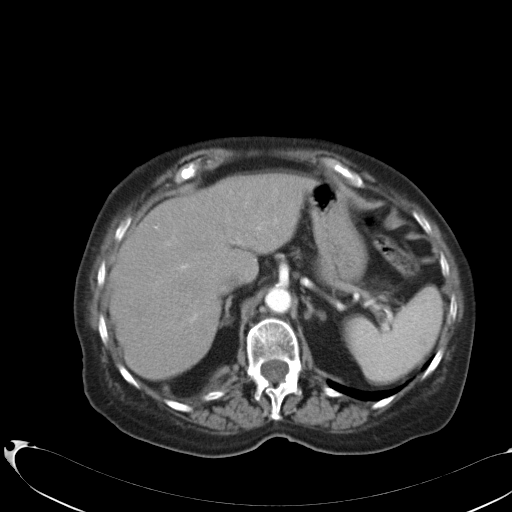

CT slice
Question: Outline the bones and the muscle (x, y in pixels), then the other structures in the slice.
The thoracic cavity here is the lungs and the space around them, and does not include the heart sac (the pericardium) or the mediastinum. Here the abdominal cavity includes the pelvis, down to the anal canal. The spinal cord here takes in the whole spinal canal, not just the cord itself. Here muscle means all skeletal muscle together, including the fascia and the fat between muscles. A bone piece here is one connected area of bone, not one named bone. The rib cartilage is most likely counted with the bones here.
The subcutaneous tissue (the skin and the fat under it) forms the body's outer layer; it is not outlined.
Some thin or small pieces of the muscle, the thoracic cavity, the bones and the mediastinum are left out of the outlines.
Answer: bones 1: 267,317 287,322 295,333 300,350 301,371 298,386 302,392 300,395 289,393 283,398 280,406 281,418 278,420 272,419 270,416 271,399 264,391 258,400 255,399 256,385 246,372 248,366 247,332 257,322, around a hole outlined by 269,360 280,360 281,361 283,361 284,362 285,362 287,364 287,372 284,375 284,377 283,378 283,380 282,380 277,383 272,383 270,381 269,381 262,374 262,373 261,372 261,366 263,363 264,363
bones 2: 324,156 326,157 330,157 339,161 344,166 347,167 352,172 358,174 364,181 365,186 364,187 358,187 352,184 349,181 348,178 342,173 338,171 335,171 333,169 329,167 327,167 324,165 320,161 320,159
bones 3: 197,158 200,158 200,162 199,163 199,167 197,169 195,175 183,181 181,183 179,183 178,184 176,183 174,180 174,177 175,176 175,174 180,169 180,168 182,166 187,164 190,161 192,160 194,160
bones 4: 440,347 443,347 444,350 443,351 443,354 442,355 442,357 438,365 435,368 435,369 427,377 426,377 424,379 422,379 421,377 422,376 422,374 423,372 427,368 428,365 430,363 431,360 433,358 437,350
bones 5: 129,215 131,216 132,218 131,220 131,222 129,226 127,228 121,240 120,241 117,241 115,239 115,232 116,231 116,229 118,225 127,216
bones 6: 100,314 102,314 104,316 104,318 105,319 105,323 106,324 106,327 107,328 107,332 108,333 108,341 106,345 102,342 102,340 100,337 100,335 98,331 98,321 99,320 99,315
bones 7: 118,363 120,363 121,364 122,364 126,368 126,369 133,376 133,377 138,383 138,384 140,387 139,388 136,388 133,385 132,385 130,383 127,382 124,379 124,378 121,375 121,374 117,367 117,364
bones 8: 165,398 167,398 168,399 171,399 172,400 175,400 176,401 178,401 179,402 181,402 182,403 187,404 192,408 192,410 188,412 183,412 182,411 180,411 179,410 174,409 167,404 166,404 164,402 164,399
bones 9: 452,294 454,294 454,295 455,296 455,299 456,300 456,303 457,304 457,310 456,311 456,316 455,317 455,319 453,322 452,322 451,323 447,323 447,317 448,316 448,311 449,310 449,304 450,303 450,297
bones 10: 413,210 415,210 418,213 419,213 423,216 424,216 424,217 428,221 428,222 430,225 430,227 431,228 431,233 430,234 428,234 427,233 426,233 426,232 422,228 422,227 414,218 414,217 412,215 412,211
bones 11: 103,260 104,260 105,261 105,266 106,267 106,273 105,274 105,282 104,283 104,284 101,287 100,287 98,285 98,284 97,283 97,272 98,271 98,269 99,268 99,266 100,265 100,264 101,263 101,262
bones 12: 395,393 396,393 396,395 395,396 395,397 392,400 391,400 387,404 386,404 384,406 382,406 381,407 379,407 376,409 373,409 371,407 373,402 375,402 376,401 378,401 383,398 385,398 388,396 390,396
bones 13: 326,384 329,387 330,387 339,392 341,392 343,394 344,394 344,395 342,395 341,396 337,396 336,397 331,397 330,396 328,396 327,395 326,395 323,392 323,391 322,390 322,387 324,385 325,385
muscle: 210,147 223,147 231,149 317,148 332,151 349,159 357,164 362,169 366,170 384,185 393,188 409,200 417,203 423,209 425,213 437,224 444,240 453,254 454,259 457,264 460,277 460,285 463,291 463,299 464,300 464,311 463,312 462,326 455,343 455,349 452,353 452,357 447,365 447,372 445,380 439,386 437,391 414,403 410,407 399,411 397,414 382,421 379,424 366,429 350,433 328,433 325,431 319,431 309,427 305,427 300,424 288,423 283,421 277,421 276,422 271,421 262,426 246,430 238,434 215,435 178,425 170,421 162,419 152,414 142,411 121,400 117,399 116,396 108,387 108,385 105,381 100,369 99,365 100,342 98,339 98,336 92,330 87,322 87,312 88,311 87,310 87,302 90,298 89,273 92,264 111,221 120,211 143,193 149,187 150,184 157,176 164,172 166,169 170,167 181,157 193,151, around holes outlined by 264,152 312,164 321,164 324,156 339,161 362,178 365,189 410,215 415,210 424,216 431,228 427,237 437,255 444,254 448,298 454,294 457,310 443,329 442,357 427,377 418,374 384,406 373,409 372,401 326,395 326,381 301,341 302,392 283,398 278,420 270,416 271,399 264,391 254,397 245,345 228,379 214,389 225,393 206,401 201,395 172,397 138,379 136,388 117,367 122,361 109,328 107,344 102,342 98,321 102,314 107,323 106,283 98,285 97,272 116,254 118,225 129,215 132,222 151,200 175,188 175,174 190,161 200,158 198,174 and by 165,398 167,398 168,399 171,399 172,400 175,400 176,401 178,401 179,402 181,402 182,403 187,404 192,408 192,410 188,412 183,412 182,411 180,411 179,410 174,409 167,404 166,404 164,402 164,399
torso: 256,134 324,137 367,152 411,179 452,229 471,267 476,322 460,401 439,431 370,454 330,454 273,437 241,454 205,458 136,439 89,404 82,389 82,355 72,300 78,265 106,196 135,166 171,146 207,137
abdominal cavity: 264,152 342,174 354,190 392,202 401,216 427,234 449,303 435,353 409,382 364,391 325,380 292,326 274,316 248,329 237,362 202,395 176,398 161,393 122,363 107,324 106,274 132,222 151,200 196,174
spinal cord: 269,360 280,360 281,361 283,361 284,362 285,362 287,364 287,372 284,375 284,377 283,378 283,380 282,380 277,383 272,383 270,381 269,381 262,374 262,373 261,372 261,366 263,363 264,363
thoracic cavity 1: 326,380 331,380 346,388 354,390 359,390 364,392 381,392 382,391 391,390 394,388 397,388 406,384 397,392 383,397 378,400 375,401 364,401 353,398 348,395 346,395 341,391 339,391 329,386 326,383
thoracic cavity 2: 237,363 237,365 236,367 235,367 233,369 233,371 232,373 230,375 228,379 225,382 225,383 211,390 215,386 216,384 216,382 217,381 217,379 219,378 222,375 223,375 224,373 227,372 232,366 233,366
mediastinum 1: 351,184 358,188 364,188 367,190 369,190 370,191 371,191 372,192 373,192 374,193 375,193 384,198 381,200 377,200 374,197 373,197 368,194 365,194 360,191 358,191 357,190 354,189 351,186
mediastinum 2: 399,207 401,208 405,212 411,215 417,222 417,223 421,227 421,228 425,232 424,233 421,232 419,230 418,228 418,225 417,224 410,221 410,220 408,219 405,216 403,216 401,215 400,213 400,209